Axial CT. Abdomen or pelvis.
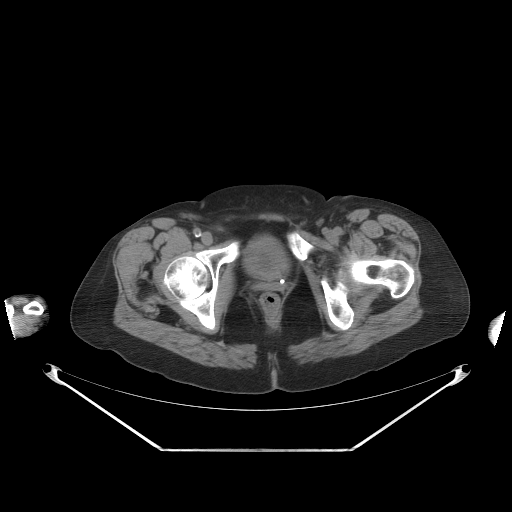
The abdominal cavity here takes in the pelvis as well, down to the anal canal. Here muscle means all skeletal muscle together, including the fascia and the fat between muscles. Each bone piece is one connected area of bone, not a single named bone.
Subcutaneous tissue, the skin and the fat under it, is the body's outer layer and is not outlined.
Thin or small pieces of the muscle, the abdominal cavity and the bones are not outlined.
{"bones":[[[234,240],[239,241],[239,254],[234,261],[224,263],[219,268],[218,285],[213,309],[215,318],[215,329],[212,330],[202,325],[195,314],[182,307],[163,284],[162,280],[167,265],[174,258],[184,254],[191,255],[194,252],[204,249],[223,247]],[[384,258],[393,258],[394,259],[400,259],[403,260],[411,265],[414,270],[414,282],[408,292],[400,298],[392,298],[390,295],[389,290],[385,286],[381,284],[372,284],[371,283],[359,281],[357,280],[352,274],[352,266],[356,261],[362,259],[380,260]],[[323,277],[326,277],[327,281],[331,287],[334,287],[336,281],[338,281],[345,285],[348,289],[348,292],[347,293],[347,301],[352,308],[354,313],[352,324],[348,329],[345,330],[339,329],[333,324],[328,316],[324,292],[321,285],[321,279]],[[290,231],[295,231],[297,232],[304,239],[305,239],[308,242],[309,242],[314,246],[314,248],[308,254],[308,256],[307,258],[302,261],[297,259],[295,257],[295,256],[291,251],[288,245],[288,242],[286,238],[286,234]],[[32,300],[37,300],[43,306],[43,307],[44,308],[44,310],[43,311],[43,312],[40,315],[35,315],[34,314],[26,314],[23,312],[23,309],[22,308],[23,307],[23,306]]],"right_arm":[[[25,292],[36,293],[41,295],[47,302],[50,317],[48,323],[40,330],[29,336],[18,338],[16,337],[18,332],[14,323],[14,318],[13,317],[12,319],[10,320],[9,319],[9,314],[11,309],[10,308],[10,302],[7,298],[13,294],[24,293]]],"abdominal_cavity":[[[234,219],[283,222],[289,226],[285,238],[290,251],[299,261],[299,263],[297,260],[296,261],[295,262],[293,274],[285,290],[278,317],[272,324],[266,323],[256,304],[255,297],[246,289],[236,287],[234,271],[235,264],[233,262],[240,254],[240,238],[230,232],[224,225]]],"muscle":[{"outer":[[358,208],[394,214],[416,231],[421,242],[419,301],[424,310],[415,324],[361,352],[303,364],[288,355],[290,345],[319,335],[324,325],[309,279],[301,267],[282,320],[273,332],[259,330],[245,299],[234,293],[223,320],[223,338],[228,342],[255,344],[257,362],[253,368],[238,370],[202,365],[135,337],[113,323],[118,289],[112,254],[125,233],[152,218],[183,211],[197,215],[277,212],[292,216],[317,236]],"holes":[[[234,219],[286,223],[289,232],[297,232],[314,248],[306,259],[295,262],[278,317],[272,324],[266,323],[255,297],[246,289],[236,287],[235,264],[222,264],[213,309],[215,329],[212,330],[182,307],[162,280],[167,265],[174,258],[239,241],[224,225]],[[384,258],[393,258],[394,259],[400,259],[403,260],[411,265],[414,270],[414,282],[408,292],[400,298],[392,298],[390,295],[389,290],[385,286],[381,284],[372,284],[371,283],[359,281],[357,280],[352,274],[352,266],[356,261],[362,259],[380,260]],[[323,277],[326,277],[327,281],[331,287],[334,287],[336,281],[338,281],[345,285],[348,289],[348,292],[347,293],[347,301],[352,308],[354,313],[352,324],[348,329],[345,330],[339,329],[333,324],[328,316],[324,292],[321,285],[321,279]]]},[[16,297],[26,297],[30,299],[38,298],[44,304],[44,307],[37,299],[32,299],[22,306],[22,312],[26,315],[40,316],[44,311],[45,315],[41,318],[41,320],[33,329],[21,334],[18,334],[16,329],[14,323],[15,309],[9,301]]],"torso":[[[246,183],[299,184],[327,198],[337,194],[374,197],[423,215],[442,235],[468,285],[470,314],[464,328],[388,366],[334,385],[261,394],[227,393],[177,382],[83,341],[70,326],[71,302],[90,265],[114,234],[168,204],[198,200],[216,189]]]}